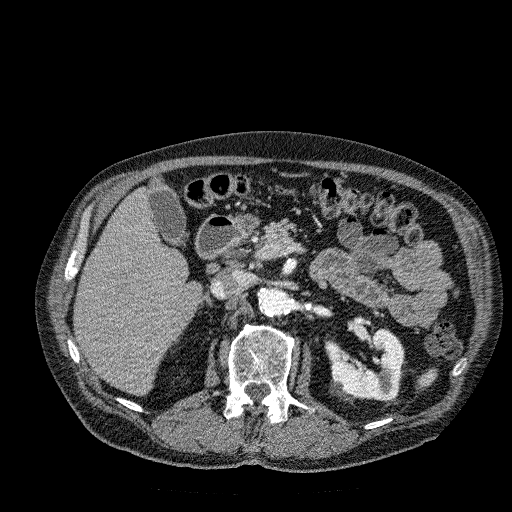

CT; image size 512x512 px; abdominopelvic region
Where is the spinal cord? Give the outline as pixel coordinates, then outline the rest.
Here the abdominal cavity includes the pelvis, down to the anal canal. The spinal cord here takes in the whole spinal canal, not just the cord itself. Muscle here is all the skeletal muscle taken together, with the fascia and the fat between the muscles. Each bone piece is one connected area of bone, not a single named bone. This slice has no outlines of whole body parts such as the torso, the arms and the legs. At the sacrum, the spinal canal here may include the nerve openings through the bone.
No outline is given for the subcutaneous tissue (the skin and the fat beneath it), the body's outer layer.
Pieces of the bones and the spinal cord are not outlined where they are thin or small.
The spinal cord is outlined by [[252,383],[256,385],[260,385],[261,384],[266,384],[268,386],[270,390],[269,393],[265,396],[264,396],[258,403],[256,403],[256,402],[253,399],[252,399],[249,396],[249,395],[245,392],[244,390],[246,386]]. The bones appear in 6 outlined pieces: piece 1: [[245,324],[270,325],[295,338],[288,391],[300,402],[316,406],[313,413],[310,414],[305,409],[291,404],[287,410],[287,420],[271,424],[265,417],[265,406],[247,405],[243,415],[229,419],[224,416],[225,395],[229,392],[226,356],[231,341]]; inner edge: [[252,383],[256,385],[260,385],[261,384],[266,384],[268,386],[270,390],[269,393],[265,396],[264,396],[258,403],[256,403],[256,402],[253,399],[252,399],[249,396],[249,395],[245,392],[244,390],[246,386]]; piece 2: [[94,200],[95,200],[95,205],[91,212],[91,215],[89,219],[89,231],[87,237],[87,246],[83,258],[75,277],[70,281],[65,281],[64,280],[64,269],[67,260],[70,255],[71,250],[73,247],[73,243],[78,232],[80,219],[82,213],[88,204]]; piece 3: [[115,397],[121,397],[122,398],[125,398],[128,400],[131,400],[139,404],[141,406],[142,406],[145,412],[138,412],[137,411],[132,410],[126,407],[124,405],[123,405],[121,403],[117,401],[115,399]]; piece 4: [[68,338],[71,338],[71,339],[73,341],[73,342],[77,347],[77,349],[79,352],[79,357],[80,358],[80,362],[78,364],[75,363],[72,360],[72,359],[70,356],[70,354],[69,353],[69,350],[68,349],[68,345],[67,344],[67,342],[66,341]]; piece 5: [[463,356],[464,357],[465,357],[467,360],[467,364],[466,365],[466,367],[462,371],[462,372],[459,375],[458,375],[457,376],[452,376],[450,374],[450,372],[452,370],[452,369],[453,368],[454,365],[456,363],[456,362],[461,357],[462,357]]; piece 6: [[389,416],[391,416],[393,418],[392,421],[391,421],[389,423],[387,423],[381,426],[379,426],[375,428],[372,428],[371,429],[364,429],[363,428],[363,426],[366,423],[368,423],[371,421],[380,420],[383,418],[386,418]]. The abdominal cavity is outlined by [[269,162],[373,175],[431,197],[449,214],[465,255],[473,324],[443,391],[425,408],[370,421],[344,418],[310,394],[308,346],[264,323],[217,336],[204,387],[164,409],[114,395],[81,360],[66,319],[74,279],[88,243],[118,200],[138,182],[178,168]]. The muscle is outlined by [[197,155],[247,155],[260,157],[294,159],[296,158],[305,160],[332,160],[379,166],[405,173],[421,180],[437,191],[446,192],[460,201],[470,211],[480,223],[488,242],[489,247],[488,249],[491,259],[490,266],[492,276],[491,287],[493,290],[492,292],[493,298],[491,300],[492,314],[487,336],[481,345],[474,360],[470,364],[464,376],[465,378],[461,388],[461,392],[458,395],[457,399],[450,410],[446,411],[437,420],[414,427],[382,433],[337,455],[332,455],[329,457],[322,457],[317,459],[307,458],[300,460],[283,460],[270,458],[261,452],[257,452],[252,455],[247,453],[237,453],[234,455],[218,456],[204,455],[191,452],[180,452],[169,448],[165,448],[150,440],[144,432],[128,420],[114,414],[106,413],[94,407],[85,399],[77,385],[76,378],[73,375],[72,370],[68,366],[66,358],[59,349],[55,333],[52,329],[49,311],[47,308],[48,285],[53,272],[54,265],[59,257],[61,247],[64,243],[73,215],[79,203],[90,189],[109,176],[130,170],[140,170],[153,163],[166,159]] with a hole at [[269,162],[373,175],[449,214],[473,324],[466,367],[425,408],[371,429],[344,418],[310,394],[296,337],[288,391],[317,408],[273,424],[265,406],[223,414],[237,332],[164,409],[126,407],[72,360],[64,269],[88,204],[88,243],[140,181]].